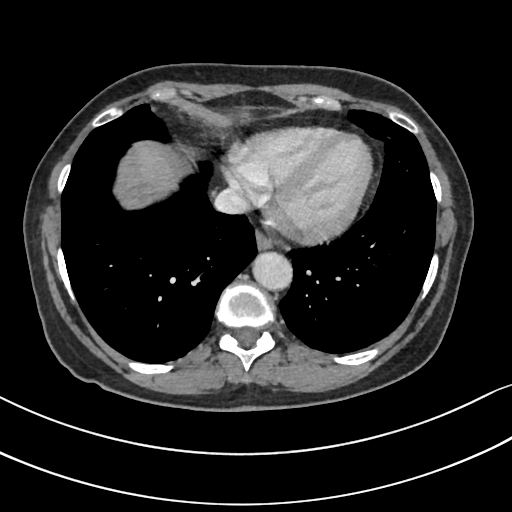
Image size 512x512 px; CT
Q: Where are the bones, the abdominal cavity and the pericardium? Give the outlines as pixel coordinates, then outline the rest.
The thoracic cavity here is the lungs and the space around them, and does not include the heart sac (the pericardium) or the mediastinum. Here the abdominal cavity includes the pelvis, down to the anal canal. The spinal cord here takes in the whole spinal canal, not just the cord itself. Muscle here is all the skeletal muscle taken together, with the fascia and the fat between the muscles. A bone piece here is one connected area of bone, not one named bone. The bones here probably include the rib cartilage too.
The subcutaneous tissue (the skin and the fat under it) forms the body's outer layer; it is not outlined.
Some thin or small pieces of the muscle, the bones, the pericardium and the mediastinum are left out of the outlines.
A: bones 1: [[239,282],[253,284],[259,288],[271,299],[275,307],[275,322],[269,327],[271,335],[275,340],[275,345],[272,349],[259,355],[251,363],[246,373],[237,355],[219,348],[219,338],[226,329],[221,323],[217,322],[214,317],[214,312],[223,290],[229,284]] with a hole at [[245,326],[247,326],[248,327],[253,327],[254,328],[257,328],[260,332],[260,334],[258,338],[255,341],[254,345],[248,348],[246,348],[245,347],[243,347],[239,345],[239,343],[237,339],[234,336],[234,331],[236,328],[240,328],[241,327],[244,327]]
bones 2: [[374,347],[378,347],[380,350],[380,352],[372,359],[370,359],[359,364],[356,364],[355,365],[350,365],[349,364],[340,364],[335,362],[332,359],[332,356],[333,355],[344,355],[345,354],[350,354],[351,353],[354,353],[359,351],[367,350]]
bones 3: [[128,359],[130,359],[134,361],[137,361],[138,362],[147,363],[148,364],[167,364],[171,362],[174,365],[174,367],[171,370],[167,372],[165,372],[164,373],[141,373],[138,371],[136,371],[132,369],[128,366],[127,364],[127,360]]
bones 4: [[434,252],[436,252],[439,256],[439,263],[438,264],[437,273],[435,276],[433,283],[426,296],[422,300],[417,301],[416,300],[419,294],[421,292],[422,286],[423,285],[424,280],[426,277],[426,275],[429,268],[429,265],[431,261],[431,258]]
bones 5: [[395,107],[399,109],[407,116],[408,116],[416,124],[418,128],[418,133],[416,135],[414,135],[411,132],[410,132],[405,128],[402,127],[400,125],[394,122],[391,119],[387,117],[387,110],[389,109],[392,109]]
bones 6: [[321,95],[328,96],[329,97],[331,97],[338,100],[341,103],[342,105],[342,108],[339,110],[330,110],[329,109],[318,108],[312,105],[308,99],[305,101],[302,101],[300,100],[299,98],[303,96],[309,99],[311,97],[313,97],[314,96],[320,96]]
bones 7: [[59,246],[60,246],[62,249],[63,257],[65,262],[65,266],[67,270],[67,274],[69,278],[71,288],[77,302],[76,303],[73,303],[71,301],[71,299],[64,286],[63,281],[59,273],[58,264],[57,263],[57,258],[56,257],[56,251],[57,248]]
bones 8: [[112,106],[123,108],[125,109],[125,111],[120,116],[113,119],[111,121],[109,121],[95,128],[92,128],[91,126],[91,123],[94,119],[94,118],[95,118],[102,111]]
bones 9: [[163,87],[168,87],[169,88],[172,87],[173,88],[175,88],[177,90],[177,93],[176,95],[172,97],[170,97],[167,100],[165,101],[159,101],[158,100],[154,100],[150,97],[150,95],[152,92],[158,89],[160,89]]
bones 10: [[68,162],[70,162],[71,163],[70,170],[69,171],[69,173],[68,174],[68,177],[66,180],[65,185],[63,188],[63,190],[61,194],[59,194],[58,193],[58,190],[57,189],[57,180],[59,176],[59,173],[62,167],[66,163]]
bones 11: [[430,170],[432,170],[437,175],[437,176],[440,181],[440,185],[441,186],[441,200],[439,203],[437,203],[436,202],[436,199],[435,198],[435,196],[434,195],[433,188],[432,187],[432,185],[431,184],[431,181],[430,180],[430,175],[429,174],[429,171]]
abdominal cavity: [[248,91],[271,94],[295,109],[248,120],[226,132],[220,141],[205,128],[182,121],[206,160],[197,164],[198,171],[186,177],[179,189],[163,201],[141,209],[120,206],[112,185],[122,156],[140,140],[164,144],[171,140],[156,101],[188,98],[203,102]]
pericardium: [[278,114],[338,118],[352,123],[372,138],[381,150],[382,162],[380,176],[367,207],[362,215],[341,235],[327,243],[292,247],[272,238],[272,236],[261,228],[253,219],[247,202],[237,190],[224,182],[219,175],[216,156],[222,137],[229,131],[248,121]]
muscle: [[163,80],[184,81],[185,82],[194,82],[195,83],[202,83],[203,84],[238,83],[239,84],[251,85],[252,86],[275,85],[276,84],[291,84],[292,83],[315,83],[316,84],[321,84],[322,85],[339,88],[355,96],[365,97],[369,99],[379,100],[391,103],[409,114],[422,127],[424,133],[431,143],[438,159],[441,162],[450,182],[451,192],[453,198],[453,212],[457,222],[457,229],[452,248],[452,254],[449,265],[448,277],[443,293],[428,320],[422,328],[402,348],[366,376],[357,380],[355,382],[326,391],[320,391],[319,392],[273,391],[267,387],[258,384],[254,383],[245,384],[244,383],[234,389],[230,389],[226,391],[221,391],[215,394],[171,394],[170,393],[164,393],[163,392],[155,391],[133,383],[107,365],[102,360],[92,353],[77,338],[61,317],[53,302],[48,287],[46,279],[46,272],[42,260],[40,224],[41,223],[41,214],[44,210],[44,207],[48,202],[48,192],[47,191],[48,179],[55,164],[60,159],[62,155],[75,139],[78,133],[106,105],[122,97],[141,91],[148,86]]; inner edge: [[163,87],[177,90],[169,100],[200,102],[264,92],[298,111],[318,108],[300,97],[324,95],[343,109],[384,117],[395,107],[416,124],[441,186],[433,246],[438,269],[426,296],[370,347],[379,348],[375,357],[337,363],[335,353],[281,335],[275,322],[274,347],[246,373],[237,355],[219,348],[226,329],[214,321],[198,345],[170,361],[171,370],[141,373],[71,301],[56,257],[59,173],[102,111],[155,102],[151,93]]
thoracic cavity 1: [[143,103],[170,140],[140,139],[121,156],[111,185],[119,206],[132,211],[163,202],[209,161],[209,201],[218,212],[245,215],[256,244],[253,259],[220,293],[209,333],[166,363],[131,359],[98,334],[77,301],[61,246],[62,193],[80,146],[94,129]]
thoracic cavity 2: [[351,109],[380,114],[415,136],[427,163],[436,203],[435,233],[433,252],[420,292],[404,319],[367,349],[336,354],[290,340],[276,325],[276,312],[294,276],[290,251],[293,248],[328,244],[341,236],[368,210],[379,185],[384,163],[383,143],[349,119]]
torso: [[180,62],[305,64],[360,70],[402,87],[439,126],[467,176],[474,228],[448,327],[435,353],[419,369],[384,387],[339,401],[286,409],[222,412],[132,399],[75,377],[58,361],[43,332],[23,241],[24,206],[33,172],[65,124],[103,88],[132,72]]
mediastinum: [[182,122],[199,126],[219,140],[215,164],[221,180],[246,202],[252,219],[261,229],[292,248],[288,255],[293,276],[278,310],[272,299],[253,283],[232,282],[257,253],[254,227],[245,214],[230,214],[214,208],[207,190],[214,173],[213,164],[204,157]]
spinal cord: [[245,326],[247,326],[248,327],[253,327],[254,328],[257,328],[260,332],[260,334],[258,338],[255,341],[254,345],[248,348],[246,348],[245,347],[243,347],[239,345],[239,343],[237,339],[234,336],[234,331],[236,328],[240,328],[241,327],[244,327]]